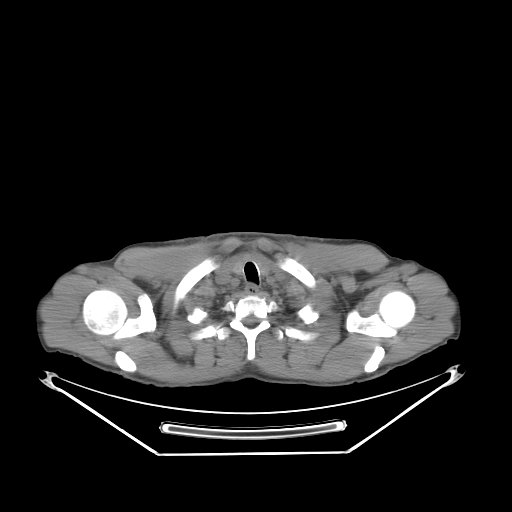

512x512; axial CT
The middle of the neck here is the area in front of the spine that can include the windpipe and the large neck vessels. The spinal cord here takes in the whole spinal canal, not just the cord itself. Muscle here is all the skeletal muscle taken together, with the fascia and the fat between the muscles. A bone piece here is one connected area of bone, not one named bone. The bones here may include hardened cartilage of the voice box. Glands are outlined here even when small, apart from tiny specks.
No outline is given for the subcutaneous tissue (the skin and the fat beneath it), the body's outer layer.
{"right_arm":[[[103,259],[107,259],[110,262],[119,276],[129,306],[128,312],[122,326],[111,335],[96,339],[94,341],[79,343],[63,354],[45,352],[38,341],[35,330],[34,306],[36,300],[42,293],[50,287],[54,280],[61,273],[75,264],[84,261],[95,261]]],"torso":[[[227,231],[360,238],[378,244],[396,256],[388,265],[377,296],[381,319],[411,340],[441,347],[381,377],[339,387],[247,378],[212,386],[159,388],[123,379],[64,354],[79,344],[111,336],[123,326],[130,306],[123,282],[108,259],[119,249],[138,241]]],"spinal_cord":[[[251,314],[252,315],[253,315],[255,317],[256,317],[257,318],[258,318],[259,319],[259,322],[256,325],[255,325],[252,327],[249,327],[248,326],[247,326],[246,325],[245,325],[242,322],[242,320],[245,317],[246,317],[247,316],[248,316]]],"muscle":[{"outer":[[231,236],[371,245],[392,265],[412,263],[443,281],[456,301],[454,331],[406,359],[381,367],[386,351],[379,343],[375,343],[363,363],[364,374],[333,382],[268,375],[248,363],[240,372],[231,375],[188,383],[170,383],[135,373],[136,362],[122,349],[117,349],[113,354],[113,361],[118,367],[114,367],[71,350],[48,346],[42,335],[39,308],[65,275],[74,273],[84,265],[111,266],[123,251],[131,247],[179,245]],"holes":[[[243,256],[281,276],[277,291],[257,294],[277,303],[277,321],[317,332],[314,339],[285,335],[279,340],[273,325],[256,336],[255,357],[248,360],[247,341],[238,330],[222,340],[190,338],[191,332],[221,319],[226,302],[246,295],[222,289],[215,279]],[[101,288],[110,289],[116,292],[123,299],[129,317],[136,317],[139,315],[140,308],[137,302],[137,296],[141,292],[145,292],[152,302],[156,318],[155,330],[119,339],[114,339],[110,335],[100,335],[90,331],[83,320],[82,305],[84,299],[90,292]],[[396,289],[402,290],[409,294],[414,299],[416,306],[413,319],[401,327],[397,331],[396,335],[390,337],[373,337],[357,332],[349,332],[346,329],[345,320],[347,313],[350,310],[356,309],[362,316],[368,316],[377,310],[378,304],[383,295],[391,290]],[[210,256],[214,256],[216,258],[216,260],[219,263],[219,266],[216,269],[211,271],[208,274],[202,277],[191,288],[185,295],[184,298],[179,301],[176,309],[174,309],[173,308],[173,297],[175,289],[178,283],[183,276],[191,268],[198,264],[205,258]],[[283,256],[289,256],[295,259],[298,262],[302,264],[311,273],[311,274],[314,277],[316,281],[316,284],[315,286],[313,288],[310,288],[306,286],[296,277],[295,277],[290,273],[280,268],[277,265],[277,260],[278,258],[280,257],[282,257]],[[308,303],[310,303],[312,307],[315,310],[317,310],[319,312],[319,317],[317,319],[317,320],[316,320],[314,322],[312,322],[308,324],[305,324],[303,323],[303,322],[296,316],[295,314],[295,311],[300,309]],[[196,306],[202,308],[205,311],[208,312],[208,313],[209,314],[208,315],[208,317],[206,319],[205,319],[200,324],[194,324],[193,323],[191,323],[189,321],[188,321],[186,318],[186,316],[187,315],[187,314],[188,313],[190,313],[192,311],[193,308]]]}],"left_arm":[[[396,257],[414,259],[425,266],[436,270],[444,276],[449,286],[457,294],[461,303],[462,326],[460,336],[458,339],[455,340],[451,339],[448,341],[446,345],[437,346],[411,339],[403,335],[384,322],[380,313],[378,304],[378,296],[389,265],[392,260]]],"middle_of_the_neck":[[[248,256],[257,259],[257,265],[262,275],[266,276],[269,273],[269,269],[281,276],[281,285],[277,291],[246,294],[241,291],[227,291],[225,289],[222,289],[216,283],[216,275],[230,268],[230,270],[237,276],[241,275],[243,272],[244,263]]],"thyroid_glands":[[[243,256],[247,256],[247,257],[243,263],[243,266],[242,267],[242,272],[241,273],[241,274],[240,274],[239,275],[237,275],[235,273],[234,273],[231,270],[231,266],[232,265],[232,264],[236,260],[237,260],[239,258],[240,258]],[[259,261],[260,261],[261,262],[262,262],[268,268],[268,273],[266,275],[264,275],[263,274],[262,274],[262,273],[261,272],[261,271],[260,270],[260,268],[259,267],[259,266],[258,265],[258,262]]],"bones":[{"outer":[[252,294],[277,303],[280,309],[275,316],[279,323],[318,335],[306,342],[286,335],[279,340],[273,325],[256,336],[252,360],[246,358],[247,341],[238,330],[232,329],[222,340],[216,336],[191,339],[191,332],[226,314],[220,309],[226,302],[236,302]],"hole":[[251,314],[252,315],[253,315],[255,317],[256,317],[257,318],[258,318],[259,319],[259,322],[256,325],[255,325],[252,327],[249,327],[248,326],[247,326],[246,325],[245,325],[242,322],[242,320],[245,317],[246,317],[247,316],[248,316]]},[[101,288],[110,289],[116,292],[123,299],[129,317],[136,317],[139,315],[140,308],[137,302],[137,296],[141,292],[145,292],[152,302],[156,318],[155,330],[119,339],[114,339],[110,335],[100,335],[90,331],[83,320],[82,305],[84,299],[90,292]],[[396,289],[402,290],[409,294],[414,299],[416,306],[413,319],[401,327],[397,331],[396,335],[390,337],[373,337],[357,332],[349,332],[346,329],[345,320],[347,313],[350,310],[356,309],[362,316],[368,316],[377,310],[378,304],[383,295],[391,290]],[[210,256],[214,256],[216,258],[216,260],[219,263],[219,266],[216,269],[211,271],[208,274],[202,277],[191,288],[185,295],[184,298],[179,301],[176,309],[174,309],[173,308],[173,297],[175,289],[178,283],[183,276],[191,268],[198,264],[205,258]],[[283,256],[289,256],[295,259],[298,262],[302,264],[311,273],[311,274],[314,277],[316,281],[316,284],[315,286],[313,288],[310,288],[306,286],[296,277],[295,277],[290,273],[280,268],[277,265],[277,260],[278,258],[280,257],[282,257]],[[375,344],[379,344],[382,347],[383,347],[385,351],[385,353],[384,354],[383,358],[381,360],[378,366],[378,368],[376,370],[372,372],[366,373],[364,371],[363,366],[364,365],[364,363],[367,360],[367,359],[371,354],[371,352],[373,350],[373,348]],[[117,350],[122,350],[123,351],[126,352],[131,357],[131,358],[135,362],[135,363],[136,364],[136,370],[134,372],[128,372],[127,371],[125,371],[124,370],[121,369],[116,364],[116,363],[114,361],[114,354],[115,353],[115,352]],[[308,303],[310,303],[312,307],[315,310],[317,310],[319,312],[319,317],[317,319],[317,320],[316,320],[314,322],[312,322],[308,324],[305,324],[303,323],[303,322],[296,316],[295,314],[295,311],[300,309]],[[196,306],[202,308],[205,311],[208,312],[208,313],[209,314],[208,315],[208,317],[206,319],[205,319],[200,324],[194,324],[193,323],[191,323],[189,321],[188,321],[186,318],[186,316],[187,315],[187,314],[188,313],[190,313],[192,311],[193,308]]]}